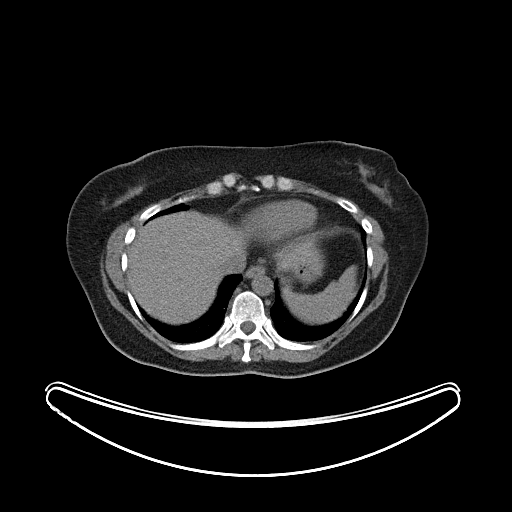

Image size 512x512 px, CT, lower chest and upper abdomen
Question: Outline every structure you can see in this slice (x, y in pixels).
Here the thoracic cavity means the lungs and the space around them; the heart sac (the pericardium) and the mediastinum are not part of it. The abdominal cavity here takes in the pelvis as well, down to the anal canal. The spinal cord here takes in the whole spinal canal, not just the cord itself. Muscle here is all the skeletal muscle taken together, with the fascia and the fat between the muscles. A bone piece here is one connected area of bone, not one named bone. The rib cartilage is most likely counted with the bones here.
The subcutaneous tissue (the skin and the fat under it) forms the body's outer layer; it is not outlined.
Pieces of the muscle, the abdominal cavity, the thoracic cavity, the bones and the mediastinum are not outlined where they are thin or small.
Answer: Outlines (x, y in pixels):
torso: [[315,140],[340,140],[388,152],[421,196],[427,211],[429,235],[423,266],[394,328],[381,345],[355,361],[293,378],[252,373],[186,375],[139,363],[113,347],[96,321],[66,251],[68,214],[84,184],[106,168],[164,147],[196,144],[274,146]]
pericardium: [[288,193],[306,193],[323,200],[329,204],[333,211],[333,222],[331,225],[322,227],[307,235],[284,241],[270,253],[266,253],[263,250],[261,250],[253,245],[240,229],[223,216],[223,213],[225,211],[230,209],[240,200],[247,197],[264,194],[287,194]]
muscle 1: [[207,182],[204,188],[207,196],[197,197],[194,193],[184,193],[165,208],[156,202],[139,215],[141,224],[137,229],[132,225],[127,228],[123,239],[128,245],[127,250],[120,256],[121,270],[126,272],[129,284],[129,290],[125,293],[136,316],[170,341],[170,348],[195,351],[216,344],[222,348],[239,339],[243,348],[241,361],[191,362],[177,358],[148,339],[115,309],[102,285],[100,258],[103,245],[119,224],[149,204]]
muscle 2: [[347,199],[356,203],[373,217],[385,234],[389,249],[389,267],[384,300],[342,340],[313,360],[297,364],[281,361],[250,361],[251,342],[254,340],[258,340],[271,351],[276,345],[288,350],[314,349],[318,345],[308,343],[331,335],[346,321],[349,322],[363,306],[369,290],[365,285],[366,269],[372,266],[374,259],[373,249],[367,245],[367,234],[370,235],[373,228],[365,216],[358,222],[352,214],[356,214],[359,209]]
muscle 3: [[290,178],[311,183],[332,194],[335,194],[338,196],[341,196],[337,196],[334,199],[334,202],[331,201],[329,199],[327,199],[318,195],[320,194],[320,192],[317,189],[311,189],[310,190],[311,193],[305,191],[296,191],[293,190],[295,187],[295,184]]
muscle 4: [[230,172],[236,172],[239,173],[247,178],[250,178],[255,175],[265,175],[264,175],[259,181],[259,185],[253,183],[249,186],[250,189],[247,189],[248,186],[245,183],[240,183],[237,185],[238,181],[236,177],[231,173],[227,173]]
abdominal cavity 1: [[189,207],[222,213],[226,220],[243,233],[250,242],[251,247],[241,266],[221,280],[215,299],[203,315],[189,323],[168,325],[148,315],[136,303],[130,291],[126,271],[128,268],[126,252],[136,235],[136,230],[143,222],[150,218],[187,210]]
abdominal cavity 2: [[329,226],[344,226],[359,231],[361,241],[365,248],[365,274],[361,280],[359,289],[355,297],[347,309],[339,317],[329,323],[321,325],[306,325],[294,319],[282,303],[278,282],[274,274],[274,264],[271,256],[280,245],[294,239],[307,236],[322,228]]
spinal cord: [[247,321],[249,321],[250,322],[252,322],[254,324],[254,329],[251,332],[250,332],[249,333],[245,333],[241,329],[241,327],[240,326],[241,325],[241,324],[242,323],[243,323],[244,322],[246,322]]
mediastinum 1: [[252,245],[266,254],[273,252],[270,257],[273,264],[273,274],[275,277],[274,300],[267,312],[262,299],[253,291],[248,289],[240,291],[231,302],[229,301],[235,288],[242,279],[242,275],[240,273],[234,272],[242,266],[248,257],[248,254],[250,253]]
mediastinum 2: [[232,188],[237,192],[245,190],[258,192],[262,188],[268,190],[273,189],[287,192],[292,190],[296,192],[305,192],[264,193],[251,195],[240,199],[230,208],[223,212],[220,212],[209,209],[195,208],[189,206],[186,203],[197,198],[219,195],[228,192]]
mediastinum 3: [[310,194],[313,194],[322,198],[324,198],[327,200],[329,200],[331,202],[335,203],[346,211],[349,212],[353,216],[357,222],[359,223],[359,225],[357,227],[358,229],[354,229],[344,225],[332,225],[334,222],[334,211],[330,204],[326,202],[323,199]]
thoracic cavity 1: [[229,274],[241,275],[240,281],[234,288],[228,300],[231,303],[229,311],[225,314],[218,329],[202,340],[186,343],[173,342],[158,333],[148,323],[140,311],[140,308],[154,320],[168,326],[189,324],[203,316],[210,309],[216,299],[218,288],[222,280]]
thoracic cavity 2: [[365,275],[364,286],[350,315],[335,331],[321,339],[307,343],[287,339],[278,333],[273,325],[272,319],[267,314],[275,300],[275,281],[276,281],[281,303],[294,320],[306,326],[321,326],[329,324],[339,318],[348,309],[356,297]]
thoracic cavity 3: [[182,203],[185,203],[187,205],[188,207],[187,209],[182,209],[178,211],[172,211],[169,213],[165,213],[162,215],[159,215],[156,217],[151,218],[151,217],[152,217],[160,211],[168,207],[170,207],[171,206],[173,206],[177,204],[181,204]]
bones 1: [[246,290],[261,299],[280,336],[294,342],[316,344],[316,347],[299,350],[276,344],[271,350],[254,339],[250,342],[250,360],[244,362],[241,359],[243,341],[239,338],[222,347],[217,343],[195,350],[169,346],[171,342],[193,343],[213,335],[237,295]]; inner edge: [[247,321],[249,321],[250,322],[252,322],[254,324],[254,329],[251,332],[250,332],[249,333],[245,333],[241,329],[241,327],[240,326],[241,325],[241,324],[242,323],[243,323],[244,322],[246,322]]
bones 2: [[268,174],[272,175],[275,178],[277,178],[280,176],[289,178],[294,184],[294,187],[291,190],[287,191],[286,190],[279,190],[275,186],[271,189],[262,187],[258,191],[252,190],[250,188],[250,186],[253,184],[259,186],[260,185],[260,181],[262,178]]
bones 3: [[225,174],[231,174],[234,176],[237,181],[236,185],[230,188],[225,187],[221,193],[219,194],[216,194],[215,195],[209,195],[206,193],[206,190],[205,189],[206,185],[210,182],[216,181],[217,180],[221,180],[222,179],[222,177]]
bones 4: [[156,203],[160,203],[163,206],[163,209],[160,210],[158,212],[157,212],[155,214],[154,214],[149,218],[146,219],[144,221],[143,221],[142,222],[141,221],[140,221],[139,220],[139,217],[140,216],[140,215],[148,207],[149,207],[150,206],[151,206]]
bones 5: [[337,197],[341,197],[342,198],[344,198],[345,199],[346,199],[347,200],[350,201],[354,205],[355,205],[355,206],[358,209],[358,211],[356,213],[351,213],[349,211],[346,210],[344,208],[343,208],[341,206],[340,206],[335,202],[335,199]]
bones 6: [[365,286],[366,286],[368,288],[368,290],[367,291],[367,294],[366,295],[365,300],[362,306],[360,308],[358,312],[349,321],[347,321],[348,318],[351,315],[353,310],[355,308],[360,298],[360,296],[362,293],[362,291]]
bones 7: [[128,290],[131,293],[131,294],[135,301],[135,303],[137,305],[137,306],[139,309],[139,311],[140,312],[141,315],[144,318],[144,320],[141,320],[137,316],[137,315],[133,310],[133,309],[128,300],[128,298],[127,297],[127,294],[126,293],[126,292]]
bones 8: [[184,194],[194,194],[195,195],[196,195],[196,198],[195,198],[194,199],[192,199],[191,200],[190,200],[187,202],[182,202],[181,203],[177,203],[176,204],[174,204],[173,205],[171,205],[172,202],[175,199],[176,199],[179,196],[181,196]]
bones 9: [[132,226],[133,227],[134,227],[134,228],[135,229],[135,235],[134,236],[134,237],[133,238],[133,239],[128,244],[126,244],[124,242],[124,239],[125,238],[125,235],[126,234],[126,232],[127,231],[127,230],[128,229],[128,228],[129,227],[131,227]]
bones 10: [[364,217],[365,217],[370,222],[370,223],[371,224],[371,227],[372,228],[372,232],[370,234],[368,234],[367,233],[366,233],[365,232],[365,231],[363,229],[363,228],[361,226],[361,225],[360,224],[360,222],[361,221],[361,219],[362,218],[363,218]]
bones 11: [[367,246],[370,246],[371,247],[371,248],[372,249],[372,253],[373,254],[373,259],[372,260],[372,263],[371,264],[371,266],[370,267],[368,267],[367,266],[367,259],[366,258],[366,248],[367,247]]